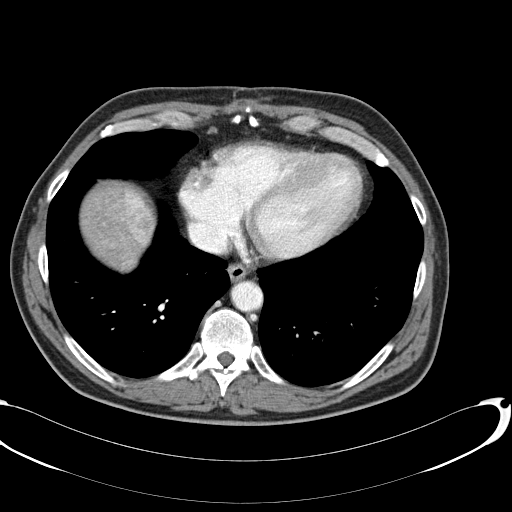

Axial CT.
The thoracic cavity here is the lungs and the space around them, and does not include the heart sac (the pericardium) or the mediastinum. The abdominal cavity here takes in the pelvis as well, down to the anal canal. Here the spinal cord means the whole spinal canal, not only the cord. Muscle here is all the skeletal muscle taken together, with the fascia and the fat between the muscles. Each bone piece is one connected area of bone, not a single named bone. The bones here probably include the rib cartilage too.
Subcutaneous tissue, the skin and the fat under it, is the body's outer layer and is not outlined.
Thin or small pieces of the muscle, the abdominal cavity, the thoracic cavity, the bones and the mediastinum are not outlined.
The thoracic cavity appears in 2 outlined pieces: piece 1: (162, 127) (187, 130) (196, 142) (161, 177) (96, 179) (77, 208) (81, 241) (108, 270) (133, 272) (152, 245) (160, 201) (188, 244) (226, 261) (229, 286) (206, 310) (198, 339) (180, 359) (155, 375) (128, 377) (96, 361) (60, 319) (50, 290) (47, 217) (94, 143); piece 2: (367, 161) (394, 172) (403, 185) (422, 228) (423, 248) (415, 274) (409, 310) (400, 328) (356, 372) (330, 384) (313, 387) (299, 385) (278, 374) (255, 342) (264, 304) (264, 292) (259, 282) (258, 270) (302, 257) (324, 246) (357, 222) (368, 211) (374, 197) (375, 184). The muscle is outlined by (243, 98) (255, 98) (259, 99) (262, 102) (270, 104) (284, 104) (285, 105) (297, 105) (298, 106) (313, 107) (351, 119) (363, 126) (372, 136) (379, 140) (386, 146) (400, 160) (417, 182) (430, 212) (433, 224) (433, 230) (435, 235) (435, 254) (436, 255) (434, 261) (434, 274) (433, 275) (432, 313) (430, 322) (430, 330) (426, 345) (422, 354) (409, 367) (401, 372) (385, 380) (378, 382) (359, 392) (357, 392) (339, 402) (333, 403) (327, 406) (316, 409) (297, 411) (296, 412) (279, 412) (278, 411) (269, 411) (263, 409) (258, 409) (257, 413) (255, 414) (238, 415) (234, 414) (229, 409) (225, 407) (215, 407) (208, 411) (173, 410) (165, 405) (148, 403) (147, 402) (140, 402) (121, 397) (95, 383) (78, 370) (54, 346) (41, 331) (29, 311) (25, 299) (22, 284) (22, 253) (26, 242) (27, 235) (29, 232) (35, 214) (35, 211) (38, 204) (38, 200) (43, 194) (50, 179) (74, 148) (95, 127) (105, 120) (110, 118) (118, 111) (138, 105) (170, 101) (171, 100) (186, 101) (192, 103) (204, 103) (205, 104) (222, 105) (226, 103) (229, 103) (233, 100); inner edge: (247, 105) (260, 127) (281, 128) (285, 120) (307, 115) (320, 127) (347, 129) (379, 148) (407, 194) (425, 210) (421, 290) (384, 361) (341, 391) (346, 378) (313, 387) (283, 385) (263, 377) (250, 361) (250, 370) (234, 378) (223, 396) (208, 370) (193, 380) (168, 381) (111, 371) (124, 385) (113, 385) (66, 344) (63, 334) (69, 332) (39, 270) (48, 188) (109, 124) (172, 109) (196, 117) (197, 127) (229, 123) (238, 113) (248, 127). The pericardium is outlined by (243, 134) (259, 134) (276, 140) (341, 148) (359, 158) (369, 178) (369, 197) (359, 217) (347, 229) (324, 245) (302, 256) (267, 266) (250, 267) (233, 255) (221, 257) (194, 245) (186, 235) (184, 221) (176, 203) (176, 186) (194, 162) (194, 158) (205, 152) (214, 142). The mediastinum appears in 2 outlined pieces: piece 1: (216, 122) (254, 129) (268, 124) (353, 148) (370, 160) (366, 166) (374, 188) (367, 211) (360, 216) (370, 197) (370, 178) (350, 151) (243, 133) (214, 141) (193, 158) (175, 186) (175, 203) (191, 245) (180, 235) (168, 206) (164, 176) (197, 142) (188, 130); piece 2: (230, 256) (237, 258) (250, 268) (262, 267) (257, 270) (258, 282) (263, 292) (263, 304) (258, 318) (256, 333) (253, 331) (247, 319) (232, 308) (222, 307) (205, 314) (207, 310) (228, 290) (230, 286) (230, 279) (226, 270) (228, 263) (225, 259) (222, 258) (227, 258). The torso is outlined by (199, 85) (278, 85) (343, 93) (376, 108) (401, 134) (436, 195) (449, 241) (441, 335) (431, 366) (412, 389) (369, 407) (311, 421) (259, 426) (192, 423) (127, 411) (81, 395) (42, 355) (20, 315) (9, 275) (14, 231) (32, 186) (76, 127) (108, 99) (142, 87). The abdominal cavity is outlined by (163, 176) (163, 185) (167, 192) (167, 205) (160, 200) (157, 203) (158, 222) (151, 245) (141, 258) (139, 265) (133, 271) (127, 274) (120, 274) (108, 269) (89, 253) (80, 235) (78, 227) (78, 208) (84, 194) (96, 180) (100, 178) (147, 179) (161, 178). The bones appear in 10 outlined pieces: piece 1: (222, 308) (232, 309) (246, 319) (254, 334) (254, 342) (260, 347) (265, 360) (287, 384) (278, 384) (263, 377) (250, 361) (250, 370) (234, 378) (223, 396) (220, 395) (218, 382) (208, 370) (193, 380) (185, 376) (168, 381) (154, 379) (180, 360) (199, 339) (203, 317); inner edge: (223, 352) (228, 352) (230, 354) (231, 354) (232, 355) (232, 356) (233, 357) (233, 360) (228, 365) (227, 365) (226, 366) (224, 366) (219, 361) (219, 360) (218, 359) (218, 356) (221, 353) (222, 353); piece 2: (297, 115) (307, 115) (316, 118) (320, 121) (320, 127) (328, 125) (338, 126) (365, 138) (379, 148) (387, 157) (391, 168) (387, 166) (379, 166) (353, 147) (328, 139) (318, 134) (317, 127) (307, 131) (306, 133) (298, 133) (283, 129) (282, 123) (285, 120); piece 3: (165, 109) (177, 110) (196, 117) (198, 119) (196, 123) (196, 126) (191, 129) (177, 129) (169, 127) (167, 125) (164, 125) (161, 127) (149, 129) (148, 130) (125, 131) (99, 139) (98, 137) (99, 132) (109, 124) (112, 124) (119, 121) (131, 118) (149, 117); piece 4: (64, 333) (68, 333) (96, 362) (97, 362) (109, 372) (113, 374) (113, 377) (117, 382) (122, 382) (124, 385) (113, 385) (108, 381) (99, 377) (90, 370) (89, 370) (81, 362) (80, 362) (72, 353) (72, 352) (65, 342) (65, 340) (63, 337) (63, 334); piece 5: (390, 340) (394, 344) (393, 348) (390, 353) (384, 360) (384, 361) (375, 370) (374, 370) (368, 376) (356, 384) (350, 387) (348, 387) (341, 391) (337, 391) (337, 389) (340, 387) (341, 384) (342, 384) (349, 377) (361, 369) (381, 349) (381, 348); piece 6: (42, 242) (45, 242) (45, 245) (46, 246) (46, 251) (47, 252) (47, 266) (48, 267) (48, 280) (49, 281) (49, 285) (48, 286) (47, 286) (45, 284) (42, 278) (42, 276) (40, 273) (39, 267) (37, 263) (37, 254) (38, 253) (38, 249) (39, 248) (40, 244); piece 7: (65, 168) (69, 168) (70, 169) (70, 171) (60, 188) (57, 191) (57, 192) (55, 194) (51, 201) (49, 203) (48, 203) (46, 200) (47, 198) (47, 191) (48, 190) (48, 188) (51, 182) (54, 179) (54, 178) (62, 170) (63, 170); piece 8: (421, 259) (423, 259) (425, 261) (425, 263) (426, 264) (426, 274) (425, 275) (425, 280) (421, 288) (421, 290) (419, 292) (417, 297) (413, 301) (412, 301) (413, 288) (414, 287) (414, 284) (415, 283) (415, 279) (416, 278) (416, 274) (417, 273) (418, 266) (420, 263); piece 9: (409, 194) (414, 194) (419, 199) (424, 207) (424, 209) (425, 210) (425, 215) (426, 216) (426, 220) (425, 221) (425, 225) (423, 227) (422, 227) (422, 226) (420, 224) (420, 222) (418, 219) (418, 217) (416, 214) (416, 212) (412, 205) (411, 200) (409, 197); piece 10: (247, 105) (249, 105) (251, 107) (251, 111) (250, 112) (254, 116) (255, 116) (258, 120) (258, 121) (260, 124) (258, 127) (256, 127) (255, 128) (254, 128) (253, 127) (251, 127) (248, 124) (248, 114) (246, 112) (245, 112) (245, 111) (244, 110) (245, 107). The spinal cord is outlined by (223, 352) (228, 352) (230, 354) (231, 354) (232, 355) (232, 356) (233, 357) (233, 360) (228, 365) (227, 365) (226, 366) (224, 366) (219, 361) (219, 360) (218, 359) (218, 356) (221, 353) (222, 353).